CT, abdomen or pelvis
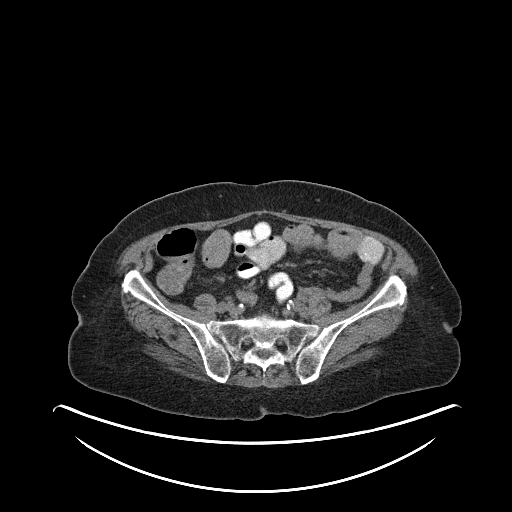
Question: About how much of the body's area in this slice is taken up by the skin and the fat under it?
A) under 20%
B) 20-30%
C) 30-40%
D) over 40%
Answer: D) over 40%
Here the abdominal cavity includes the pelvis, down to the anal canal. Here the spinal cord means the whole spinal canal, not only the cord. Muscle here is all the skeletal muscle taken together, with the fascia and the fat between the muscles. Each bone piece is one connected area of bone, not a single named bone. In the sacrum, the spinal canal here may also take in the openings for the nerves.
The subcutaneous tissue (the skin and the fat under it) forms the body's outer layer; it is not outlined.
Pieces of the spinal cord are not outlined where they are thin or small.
{"abdominal_cavity":[[[263,214],[322,228],[349,228],[379,240],[386,249],[380,283],[363,300],[334,311],[316,289],[307,304],[311,322],[265,311],[217,319],[216,298],[207,292],[194,298],[194,307],[170,301],[147,277],[154,264],[151,253],[163,234],[180,227],[205,231]]],"muscle":[[[260,209],[284,210],[291,214],[361,226],[386,235],[398,242],[407,251],[417,266],[417,279],[409,287],[408,307],[403,313],[401,323],[390,335],[376,344],[381,348],[380,353],[373,358],[336,371],[317,383],[307,384],[320,376],[325,358],[338,335],[350,324],[374,312],[393,307],[399,308],[408,294],[407,284],[398,274],[391,272],[366,304],[349,316],[321,328],[308,317],[310,295],[319,290],[329,302],[330,312],[343,310],[363,301],[381,283],[386,246],[379,239],[349,227],[322,227],[288,220],[268,213],[252,214],[232,223],[205,230],[188,226],[170,229],[161,235],[150,253],[153,264],[146,277],[153,286],[170,302],[183,304],[190,308],[195,307],[194,300],[198,295],[211,294],[217,304],[216,319],[201,322],[175,312],[156,295],[136,267],[129,269],[123,275],[120,283],[123,293],[130,294],[186,329],[197,347],[205,374],[219,383],[204,382],[182,375],[168,369],[163,363],[142,351],[144,337],[125,318],[120,303],[120,278],[116,270],[117,260],[122,251],[138,239],[169,226],[223,219]],[[232,360],[235,362],[241,361],[244,364],[253,364],[258,366],[262,371],[263,377],[266,375],[266,371],[271,365],[282,366],[294,360],[295,374],[300,384],[302,385],[289,385],[278,388],[269,388],[264,386],[244,387],[238,385],[225,384],[231,373]]],"bones":[{"outer":[[133,268],[169,309],[201,323],[265,312],[321,329],[361,309],[391,273],[405,282],[407,294],[399,307],[347,325],[311,382],[301,384],[294,359],[271,364],[264,376],[258,365],[232,359],[229,376],[220,383],[206,374],[183,325],[123,292],[124,275]],"holes":[[[279,339],[282,339],[283,340],[284,340],[287,343],[287,346],[284,349],[279,349],[276,346],[276,342]],[[261,350],[266,350],[267,351],[269,351],[271,353],[271,354],[270,354],[266,358],[263,358],[262,357],[261,357],[260,356],[259,356],[258,355],[258,354],[257,353],[257,352],[258,351],[260,351]],[[246,339],[250,339],[253,342],[253,345],[249,349],[246,349],[243,346],[243,342]]]}],"torso":[[[286,179],[334,186],[380,203],[425,238],[461,300],[460,322],[453,329],[461,361],[448,383],[389,396],[346,412],[317,417],[267,414],[242,420],[160,411],[91,389],[70,374],[67,345],[78,322],[72,287],[95,246],[125,215],[152,199],[199,184]]],"spinal_cord":[[[279,339],[282,339],[283,340],[284,340],[287,343],[287,346],[284,349],[279,349],[276,346],[276,342]],[[246,339],[250,339],[253,342],[253,345],[249,349],[246,349],[243,346],[243,342]]]}